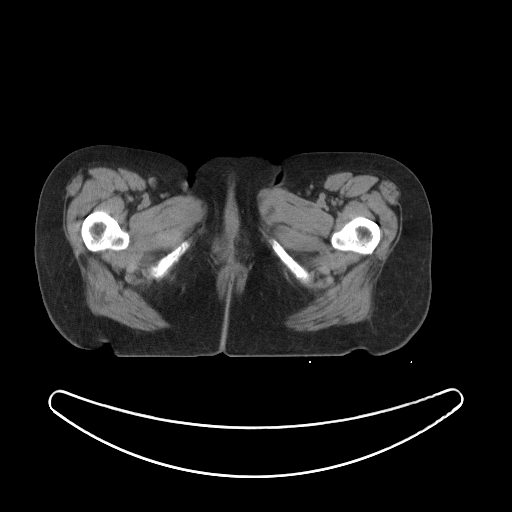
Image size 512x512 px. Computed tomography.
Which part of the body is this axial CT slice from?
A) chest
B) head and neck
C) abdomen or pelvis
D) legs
Answer: C) abdomen or pelvis
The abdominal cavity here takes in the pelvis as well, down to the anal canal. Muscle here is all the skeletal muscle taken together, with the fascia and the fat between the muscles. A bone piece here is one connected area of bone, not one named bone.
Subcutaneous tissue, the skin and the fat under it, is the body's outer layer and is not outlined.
Outlines:
muscle 1: 351 169; 385 171; 396 178; 401 193; 400 237; 374 286; 373 311; 370 319; 315 331; 296 331; 286 327; 283 322; 286 316; 304 305; 301 300; 302 292; 286 279; 278 259; 262 239; 257 195; 264 188; 280 187; 310 199; 328 174, around holes outlined by 356 216; 364 216; 376 222; 380 228; 380 240; 372 253; 370 254; 361 254; 360 253; 354 252; 350 250; 348 251; 339 250; 338 249; 334 248; 330 242; 330 238; 331 237; 332 233; 334 231; 337 231; 339 230; 347 222 and by 270 238; 274 238; 284 248; 284 249; 300 265; 301 265; 309 273; 309 280; 308 281; 306 282; 303 282; 301 281; 298 278; 297 278; 294 275; 294 274; 279 258; 279 257; 273 250; 272 248; 272 246; 269 242; 269 239
muscle 2: 94 165; 131 168; 145 180; 157 202; 175 195; 189 195; 202 200; 207 206; 204 230; 181 259; 173 279; 156 285; 153 290; 152 305; 172 325; 168 328; 155 331; 131 328; 93 314; 86 304; 81 272; 62 227; 63 193; 77 170; inner edges: 94 210; 103 210; 107 212; 117 221; 120 227; 123 230; 126 231; 128 233; 130 240; 126 248; 124 249; 121 249; 120 250; 105 249; 101 251; 93 252; 92 251; 90 251; 86 247; 81 236; 81 226; 84 218; 88 214, then 184 240; 188 240; 189 241; 189 246; 188 248; 179 257; 178 260; 173 263; 161 277; 159 278; 154 278; 152 277; 150 275; 150 273; 149 272; 150 267; 152 265; 155 264; 160 258; 163 257; 166 254; 169 253
muscle 3: 231 260; 238 261; 246 267; 250 266; 250 268; 247 273; 247 277; 246 278; 246 281; 245 282; 243 290; 240 293; 238 293; 235 289; 235 282; 234 281; 230 281; 222 297; 220 298; 219 297; 217 287; 216 286; 217 272; 224 265; inner edge: 232 263; 236 265; 239 265; 243 268; 243 276; 241 278; 241 281; 240 281; 239 283; 236 284; 236 282; 234 279; 230 279; 229 278; 226 281; 225 285; 224 285; 222 284; 222 282; 220 279; 220 273; 224 268; 229 266; 230 264
abdominal cavity: 232 263; 236 265; 239 265; 243 268; 243 276; 241 278; 241 281; 240 281; 239 283; 236 284; 236 282; 234 279; 230 279; 229 278; 226 281; 225 285; 224 285; 222 284; 222 282; 220 279; 220 273; 224 268; 229 266; 230 264
torso: 93 144; 165 153; 187 167; 190 181; 219 154; 256 154; 273 163; 307 151; 397 159; 418 177; 431 208; 432 290; 422 325; 405 345; 382 355; 357 349; 322 357; 118 357; 108 344; 74 346; 42 301; 34 225; 49 172; 71 151
bones 1: 94 210; 103 210; 107 212; 117 221; 120 227; 123 230; 126 231; 128 233; 130 240; 126 248; 124 249; 121 249; 120 250; 105 249; 101 251; 93 252; 92 251; 90 251; 86 247; 81 236; 81 226; 84 218; 88 214
bones 2: 356 216; 364 216; 376 222; 380 228; 380 240; 372 253; 370 254; 361 254; 360 253; 354 252; 350 250; 348 251; 339 250; 338 249; 334 248; 330 242; 330 238; 331 237; 332 233; 334 231; 337 231; 339 230; 347 222
bones 3: 184 240; 188 240; 189 241; 189 246; 188 248; 179 257; 178 260; 173 263; 161 277; 159 278; 154 278; 152 277; 150 275; 150 273; 149 272; 150 267; 152 265; 155 264; 160 258; 163 257; 166 254; 169 253
bones 4: 270 238; 274 238; 284 248; 284 249; 300 265; 301 265; 309 273; 309 280; 308 281; 306 282; 303 282; 301 281; 298 278; 297 278; 294 275; 294 274; 279 258; 279 257; 273 250; 272 248; 272 246; 269 242; 269 239